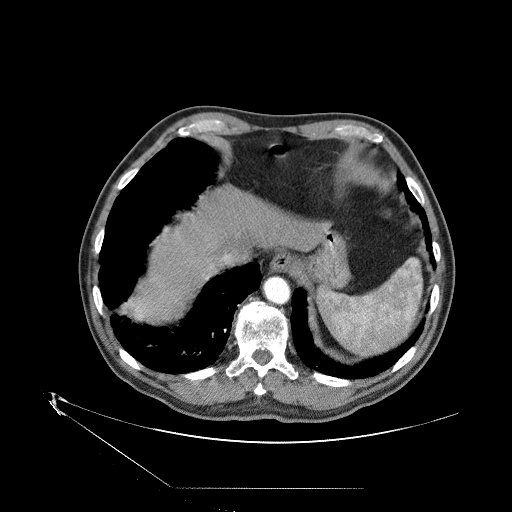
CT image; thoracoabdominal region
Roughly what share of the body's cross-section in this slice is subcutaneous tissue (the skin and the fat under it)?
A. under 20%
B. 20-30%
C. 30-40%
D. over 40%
A. under 20%
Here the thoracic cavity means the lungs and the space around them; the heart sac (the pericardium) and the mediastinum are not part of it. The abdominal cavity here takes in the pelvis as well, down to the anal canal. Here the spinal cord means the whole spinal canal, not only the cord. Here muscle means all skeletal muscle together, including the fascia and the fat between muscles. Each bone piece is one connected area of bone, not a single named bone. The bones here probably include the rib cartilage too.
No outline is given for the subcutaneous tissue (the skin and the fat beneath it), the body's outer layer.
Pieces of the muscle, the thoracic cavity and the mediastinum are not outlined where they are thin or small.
Outlines:
thoracic cavity 1: 178,136 205,143 217,165 211,183 189,207 176,209 147,244 144,271 127,300 131,321 171,330 217,276 256,261 261,279 258,289 237,305 233,341 225,357 173,374 143,365 121,345 98,273 116,198 141,167
thoracic cavity 2: 296,288 301,288 305,292 307,325 314,345 328,357 344,365 353,366 395,350 410,337 423,318 423,328 414,344 391,367 373,376 362,378 349,379 329,375 306,366 294,350 288,347 291,336 292,296
thoracic cavity 3: 400,171 404,176 404,180 409,191 425,212 431,234 431,252 435,262 435,267 433,270 430,264 430,254 426,247 426,238 424,234 422,220 420,216 412,210 410,204 406,199 404,192 398,186 397,174
torso: 194,105 270,114 357,113 386,123 409,145 450,233 455,284 434,351 397,391 347,417 325,423 285,424 273,419 218,422 173,411 138,392 110,369 90,333 82,305 78,281 82,236 103,185 126,153 160,119
mediastinum 1: 271,251 280,251 288,253 299,267 299,276 301,279 301,285 299,287 296,287 292,293 291,312 289,321 289,319 281,308 257,298 254,298 243,304 238,310 238,305 252,292 259,289 262,276 258,260 265,253
mediastinum 2: 358,137 362,137 363,138 371,140 376,144 379,145 390,156 393,162 399,167 399,172 396,174 396,179 397,180 390,178 384,175 375,168 362,160 362,159 359,156 359,154 360,153 360,147 354,138 357,138
bones 1: 254,299 281,309 288,319 290,336 286,356 298,371 298,376 295,379 290,379 275,368 269,369 262,378 259,378 252,367 247,367 240,374 230,378 225,373 225,367 238,352 237,346 233,344 234,316 243,305, around a hole outlined by 258,349 260,349 261,350 267,350 268,351 269,351 269,352 271,354 271,355 272,356 271,357 271,358 266,363 265,363 264,364 260,364 259,363 258,363 253,358 253,357 252,356 253,353 256,350 257,350
bones 2: 201,118 216,118 223,121 226,124 226,126 227,127 227,128 223,132 206,131 205,132 199,132 198,133 196,133 192,135 189,135 188,136 179,136 177,134 177,130 180,127 184,126 185,125 187,125 189,123
bones 3: 341,124 352,124 357,126 362,126 371,132 376,132 381,134 383,140 382,142 380,143 376,143 371,139 362,136 358,136 357,137 355,136 352,137 349,137 348,136 346,137 332,136 333,128 335,126
bones 4: 313,371 317,371 320,373 322,373 323,374 325,374 329,376 333,376 334,377 337,377 338,378 348,379 352,381 352,384 348,386 331,386 330,385 323,384 322,383 320,383 316,381 310,376 311,373
bones 5: 214,365 215,366 219,366 220,367 219,371 213,374 211,376 206,377 203,379 196,379 195,380 191,380 190,379 184,378 181,376 181,374 183,373 188,373 189,372 197,371 198,370 203,369 206,367 213,366
bones 6: 407,175 412,177 418,183 421,189 421,191 423,194 423,197 424,198 424,204 423,206 422,206 418,202 418,201 415,198 413,194 410,191 407,185 407,183 405,180 405,176
bones 7: 413,345 415,345 416,346 416,350 415,351 413,356 411,358 411,359 408,362 407,362 404,365 403,365 400,368 399,368 394,372 391,372 391,368 392,367 392,366 399,359 399,358 404,353 405,353
bones 8: 433,284 437,284 439,286 439,299 438,300 438,302 437,303 434,310 432,312 432,313 429,316 428,316 427,315 427,312 429,309 429,299 430,298 430,294 431,293 431,291 432,290 432,287 433,286
bones 9: 136,166 141,166 140,167 139,170 136,173 136,174 130,180 130,181 122,189 121,189 120,190 117,189 117,185 118,184 118,183 119,182 119,181 120,180 122,175 125,172 126,172 128,170 129,170
bones 10: 119,347 122,347 131,356 132,356 138,362 139,362 142,365 142,368 141,369 136,369 135,368 134,368 133,367 132,367 127,363 126,363 121,358 121,357 119,355 119,352 118,351 118,349 119,348
bones 11: 94,284 97,284 100,290 101,297 103,301 103,315 101,315 98,312 98,310 94,302 94,298 93,297 93,293 92,292 92,287
bones 12: 102,227 104,227 104,235 103,236 103,240 102,241 102,244 101,245 101,248 100,249 100,251 98,254 96,254 94,251 94,244 95,243 95,239 96,238 96,235 98,233 98,232 99,231 99,230
bones 13: 432,240 434,240 435,241 436,241 437,242 437,243 439,245 439,248 440,249 440,258 439,259 439,261 438,262 436,262 435,261 435,260 434,259 434,257 433,256 433,253 432,252
bones 14: 260,381 262,384 262,386 265,389 266,392 264,394 263,394 262,395 259,396 258,395 255,394 254,393 253,390 254,389 254,388 256,386 256,385 258,383 258,382 259,382
muscle: 207,111 226,113 264,127 333,119 362,121 383,132 416,174 437,221 445,283 434,334 422,356 399,379 328,410 311,410 270,397 195,405 140,380 112,357 92,320 86,274 91,236 107,196 121,175 116,185 120,191 105,225 95,235 98,284 92,285 91,292 97,312 103,316 105,307 121,346 118,355 136,370 144,366 180,374 191,381 203,380 220,371 216,363 235,345 236,355 223,369 230,379 252,368 259,379 275,369 295,380 299,371 288,359 289,347 313,370 309,376 316,382 348,387 352,380 373,377 389,368 394,373 408,363 417,350 415,343 423,331 426,313 429,317 439,302 440,286 433,283 432,271 440,261 441,249 432,239 423,207 424,194 419,183 404,175 378,144 384,140 379,132 341,123 332,128 331,137 314,139 285,130 225,133 228,127 223,120 201,117 180,126 177,136 147,161 124,172 167,127 183,117 with a hole at 260,381 262,384 262,386 265,389 266,392 264,394 263,394 262,395 259,396 258,395 255,394 254,393 253,390 254,389 254,388 256,386 256,385 258,383 258,382 259,382
spinal cord: 258,349 260,349 261,350 267,350 268,351 269,351 269,352 271,354 271,355 272,356 271,357 271,358 266,363 265,363 264,364 260,364 259,363 258,363 253,358 253,357 252,356 253,353 256,350 257,350
abdominal cavity: 254,131 285,131 312,140 353,138 362,161 397,181 421,220 432,282 425,315 401,345 353,365 324,353 308,325 300,267 280,250 210,279 178,326 132,321 128,300 145,271 148,244 215,175 214,151 192,136